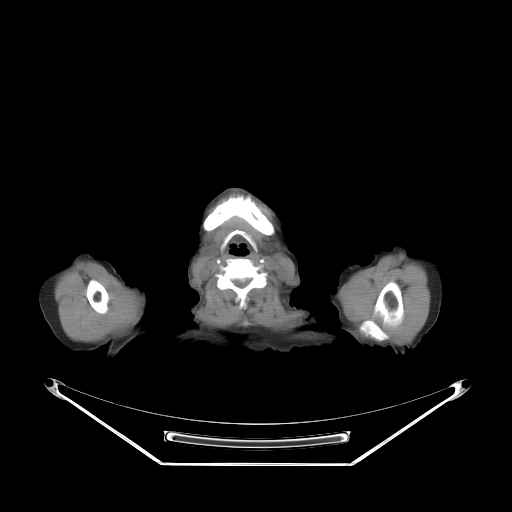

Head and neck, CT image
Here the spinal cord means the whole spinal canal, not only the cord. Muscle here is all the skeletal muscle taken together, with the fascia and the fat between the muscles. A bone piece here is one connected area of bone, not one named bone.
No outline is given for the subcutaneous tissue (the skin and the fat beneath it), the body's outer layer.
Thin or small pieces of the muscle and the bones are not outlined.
{"torso":[[[291,302],[293,304],[304,307],[311,311],[325,328],[336,334],[343,342],[322,347],[295,348],[289,352],[275,352],[271,350],[265,350],[264,351],[256,352],[251,350],[251,349],[255,348],[265,341],[275,331],[276,328],[284,319],[290,307],[290,303]],[[190,307],[191,307],[192,311],[196,318],[213,335],[224,344],[226,344],[230,347],[234,348],[217,347],[206,343],[189,343],[188,342],[178,343],[175,341],[168,339],[167,335],[171,331],[175,330],[179,327],[189,326],[192,323],[192,320],[190,317]]],"muscle":[{"outer":[[252,196],[273,214],[278,238],[295,267],[296,281],[285,299],[288,307],[303,311],[305,318],[303,324],[289,331],[260,326],[208,327],[196,317],[203,296],[193,281],[192,264],[203,246],[202,228],[209,232],[230,218],[238,217],[266,236],[276,231]],"holes":[[[237,257],[250,259],[255,265],[261,265],[260,269],[267,273],[265,286],[253,288],[248,292],[245,299],[245,308],[239,307],[239,301],[236,300],[237,295],[232,289],[227,288],[222,290],[218,288],[215,275],[220,270],[220,266],[226,264],[228,258]],[[234,230],[240,230],[241,231],[245,232],[248,235],[249,235],[255,243],[257,247],[257,251],[256,252],[253,249],[248,241],[239,234],[236,234],[234,235],[229,240],[224,250],[223,251],[221,251],[221,245],[224,240],[224,238],[229,233]]]},{"outer":[[78,259],[89,259],[101,264],[125,286],[137,290],[142,295],[143,304],[140,316],[137,322],[127,334],[116,338],[110,338],[100,342],[81,342],[72,340],[64,332],[59,320],[57,303],[54,298],[54,285],[57,276],[71,267],[74,264],[75,261]],"hole":[[91,279],[94,279],[98,281],[105,288],[108,294],[108,296],[109,297],[109,299],[108,300],[108,303],[107,304],[108,308],[107,309],[107,311],[103,314],[98,313],[94,310],[94,309],[91,306],[86,296],[86,288],[87,287],[87,284],[89,280]]},[[400,251],[409,260],[424,266],[430,307],[414,339],[408,344],[396,345],[384,341],[390,337],[387,331],[395,330],[404,319],[402,291],[394,280],[381,288],[371,318],[359,325],[358,330],[364,337],[347,321],[336,296],[352,274],[374,266],[384,255]],[[231,190],[240,190],[241,191],[246,192],[249,194],[247,195],[238,194],[237,195],[231,195],[229,196],[226,199],[218,203],[213,208],[213,209],[207,215],[205,216],[204,218],[204,214],[208,208],[209,205],[210,205],[220,196],[225,194]]],"left_arm":[[[395,243],[403,244],[412,255],[427,256],[435,260],[442,276],[442,300],[437,320],[419,344],[414,349],[408,349],[405,354],[396,354],[390,347],[372,348],[357,343],[340,328],[336,308],[326,296],[336,285],[340,272],[347,265],[365,265],[376,253]]],"right_arm":[[[80,251],[90,252],[97,258],[109,261],[126,282],[141,286],[147,294],[145,321],[150,324],[149,328],[121,349],[111,359],[106,358],[105,346],[90,351],[72,351],[65,347],[51,331],[39,307],[37,291],[41,280],[50,272],[67,263],[72,256]]],"head_and_neck":[{"outer":[[234,185],[246,186],[256,192],[280,216],[286,227],[291,251],[298,260],[301,279],[291,294],[283,319],[265,340],[250,349],[232,347],[224,343],[197,318],[191,306],[198,301],[198,294],[190,287],[187,276],[188,262],[197,246],[200,213],[220,190]],"hole":[[242,244],[243,244],[244,245],[245,245],[245,248],[247,250],[247,253],[246,254],[245,254],[244,255],[236,255],[235,254],[233,254],[230,251],[232,249],[232,247],[231,246],[231,245],[235,245],[235,248],[238,250],[241,248],[241,245]]}],"bones":[[[390,281],[394,281],[400,288],[401,297],[402,298],[402,304],[403,305],[403,319],[402,322],[395,329],[388,329],[386,331],[389,337],[386,340],[376,341],[374,339],[365,337],[360,332],[359,327],[365,320],[372,318],[372,313],[376,300],[382,288]],[[238,195],[244,196],[250,195],[251,196],[251,198],[255,202],[256,205],[273,225],[275,231],[272,235],[266,235],[260,232],[244,219],[238,216],[230,217],[221,224],[209,231],[205,230],[202,227],[202,223],[206,216],[218,204],[231,196],[237,196]],{"outer":[[237,257],[250,259],[255,265],[261,265],[260,269],[267,273],[265,286],[253,288],[248,292],[245,299],[245,308],[239,307],[239,301],[236,300],[237,295],[232,289],[227,288],[222,290],[218,288],[215,275],[220,270],[220,266],[226,264],[228,258]],"hole":[[247,278],[249,278],[250,279],[250,281],[245,286],[244,286],[243,287],[239,287],[238,286],[237,286],[236,285],[235,285],[234,284],[234,283],[232,281],[234,279],[238,279],[239,280],[243,280],[244,279],[246,279]]},[[91,279],[94,279],[98,281],[105,288],[108,294],[108,296],[109,297],[109,299],[108,300],[108,303],[107,304],[108,308],[107,309],[107,311],[103,314],[98,313],[94,310],[94,309],[91,306],[86,296],[86,288],[87,287],[87,284],[89,280]],[[234,230],[240,230],[241,231],[245,232],[248,235],[249,235],[255,243],[257,247],[257,251],[256,252],[253,249],[248,241],[239,234],[236,234],[234,235],[229,240],[224,250],[223,251],[221,251],[221,245],[224,240],[224,238],[229,233]]],"spinal_cord":[[[247,278],[249,278],[250,279],[250,281],[245,286],[244,286],[243,287],[239,287],[238,286],[237,286],[236,285],[235,285],[234,284],[234,283],[232,281],[234,279],[238,279],[239,280],[243,280],[244,279],[246,279]]]}